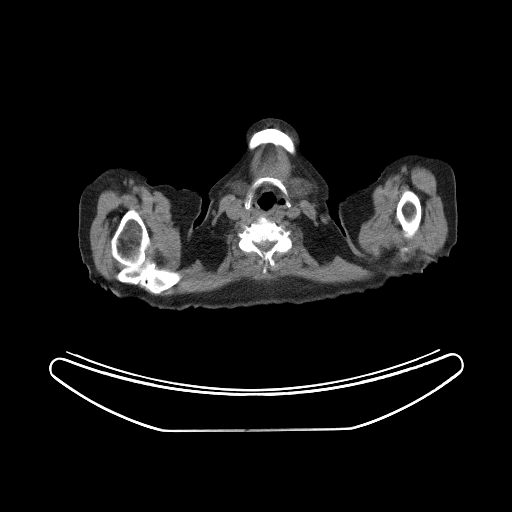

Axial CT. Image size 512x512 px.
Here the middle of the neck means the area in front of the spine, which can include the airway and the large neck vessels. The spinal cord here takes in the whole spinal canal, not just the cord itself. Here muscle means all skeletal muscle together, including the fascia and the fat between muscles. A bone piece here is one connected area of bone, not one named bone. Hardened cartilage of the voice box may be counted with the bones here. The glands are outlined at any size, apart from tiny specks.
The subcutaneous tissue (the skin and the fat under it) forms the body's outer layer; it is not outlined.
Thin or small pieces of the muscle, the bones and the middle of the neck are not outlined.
{"submandibular_glands":[[[294,178],[305,178],[307,180],[308,180],[310,182],[311,182],[311,183],[313,185],[313,188],[312,189],[312,191],[311,191],[309,193],[308,193],[307,194],[306,194],[303,196],[294,196],[290,192],[290,191],[289,190],[289,181],[290,180],[291,180]],[[235,180],[241,180],[244,182],[246,182],[247,183],[248,183],[250,185],[250,186],[248,188],[247,191],[244,194],[240,194],[239,195],[238,195],[237,194],[236,194],[234,192],[233,192],[231,190],[231,188],[230,187],[230,183],[231,182],[232,182]]],"muscle":[{"outer":[[269,143],[292,155],[297,152],[317,185],[316,210],[323,238],[332,252],[374,271],[372,277],[334,284],[295,276],[260,281],[243,278],[211,291],[158,295],[177,284],[182,274],[159,268],[147,257],[151,239],[134,208],[122,214],[110,239],[110,253],[123,265],[115,275],[117,282],[97,271],[89,231],[101,191],[139,183],[161,192],[170,200],[180,226],[183,259],[191,261],[208,248],[220,189],[238,172],[248,149]],"holes":[[[262,177],[279,179],[300,210],[294,218],[266,217],[290,231],[292,244],[286,252],[272,255],[274,263],[264,273],[265,262],[258,254],[238,246],[242,226],[257,218],[232,219],[226,214],[226,208],[242,195],[233,192],[230,183],[241,180],[251,186]],[[294,178],[305,178],[307,180],[308,180],[310,182],[311,182],[311,183],[313,185],[313,188],[312,189],[312,191],[311,191],[309,193],[308,193],[307,194],[306,194],[303,196],[294,196],[290,192],[290,191],[289,190],[289,181],[290,180],[291,180]]]},{"outer":[[407,164],[424,166],[430,169],[435,175],[444,201],[444,213],[447,221],[448,233],[444,245],[434,255],[425,259],[414,259],[399,266],[394,266],[385,258],[377,259],[369,255],[359,246],[358,234],[362,222],[372,212],[371,195],[374,189],[394,170]],"holes":[[[405,190],[411,190],[413,191],[418,196],[419,200],[420,201],[420,204],[421,205],[421,220],[419,224],[419,227],[415,234],[409,239],[405,238],[403,236],[403,231],[401,228],[400,224],[398,222],[396,218],[396,208],[397,207],[397,204],[402,193]],[[402,247],[406,247],[407,248],[407,251],[406,251],[403,254],[403,257],[399,253],[399,250],[400,249],[400,248],[401,248]]]},[[267,123],[275,123],[276,124],[278,124],[284,130],[285,129],[288,130],[292,134],[292,135],[295,140],[295,144],[295,143],[294,142],[294,141],[292,139],[292,138],[288,134],[287,134],[284,131],[283,131],[276,127],[266,127],[265,128],[262,128]]],"torso":[[[335,223],[363,257],[401,277],[391,279],[380,289],[361,294],[300,305],[189,307],[178,311],[151,307],[137,299],[121,299],[89,279],[122,270],[172,268],[185,257],[193,230],[201,253],[220,272],[246,286],[271,289],[297,279],[315,263]]],"middle_of_the_neck":[[[264,182],[268,182],[280,190],[285,197],[284,205],[287,208],[291,206],[290,200],[299,208],[300,213],[297,217],[290,218],[284,216],[278,219],[260,215],[254,218],[232,219],[226,214],[226,208],[245,194],[243,206],[248,211],[251,207],[254,191]]],"head_and_neck":[[[268,117],[282,119],[297,130],[301,137],[305,153],[329,187],[327,207],[334,225],[321,253],[303,274],[275,287],[256,288],[238,282],[220,271],[202,253],[194,228],[202,221],[206,214],[210,188],[232,167],[246,147],[244,144],[246,130],[254,122]]],"left_arm":[[[409,152],[437,155],[444,158],[451,165],[456,182],[457,241],[448,257],[441,258],[436,263],[431,264],[425,268],[421,274],[404,275],[402,277],[378,267],[352,245],[342,231],[343,229],[337,213],[337,205],[341,199],[354,190],[373,182],[388,163]]],"right_arm":[[[115,166],[138,170],[147,177],[147,181],[151,185],[166,183],[177,189],[185,187],[195,190],[201,195],[201,210],[194,221],[195,225],[191,231],[186,253],[176,265],[157,269],[122,269],[101,277],[89,277],[78,247],[79,200],[88,183],[104,170]]],"bones":[[[129,209],[134,209],[139,214],[146,227],[150,239],[150,245],[145,252],[146,257],[159,269],[169,269],[181,274],[181,278],[177,283],[158,294],[151,293],[139,284],[123,283],[116,278],[116,275],[124,265],[113,257],[111,253],[111,239],[121,217]],{"outer":[[260,216],[266,217],[289,230],[289,237],[292,243],[286,252],[276,251],[272,255],[274,263],[271,266],[268,265],[264,273],[262,270],[265,262],[258,254],[254,251],[245,252],[238,246],[238,233],[243,230],[242,226],[250,225]],"hole":[[264,241],[270,241],[271,242],[273,242],[274,243],[273,244],[273,245],[269,249],[268,249],[267,250],[262,250],[260,248],[259,248],[256,245],[256,243],[260,243],[261,242],[263,242]]},[[405,190],[411,190],[413,191],[418,196],[419,200],[420,201],[420,204],[421,205],[421,220],[419,224],[419,227],[415,234],[409,239],[405,238],[403,236],[403,231],[401,228],[400,224],[398,222],[396,218],[396,208],[397,207],[397,204],[402,193]],[[266,128],[276,128],[288,135],[291,138],[295,145],[295,147],[296,148],[295,153],[292,154],[287,151],[282,146],[280,145],[276,145],[270,142],[268,143],[262,143],[253,149],[249,149],[247,146],[247,144],[250,137],[255,132],[262,129],[265,129]],[[262,177],[276,178],[282,182],[289,196],[290,202],[289,207],[287,207],[285,205],[286,197],[281,190],[272,183],[268,181],[264,181],[253,191],[253,196],[249,209],[248,210],[245,208],[244,202],[246,200],[247,197],[246,194],[249,188],[255,180]]],"spinal_cord":[[[264,241],[270,241],[271,242],[273,242],[274,243],[273,244],[273,245],[269,249],[268,249],[267,250],[262,250],[260,248],[259,248],[256,245],[256,243],[260,243],[261,242],[263,242]]]}